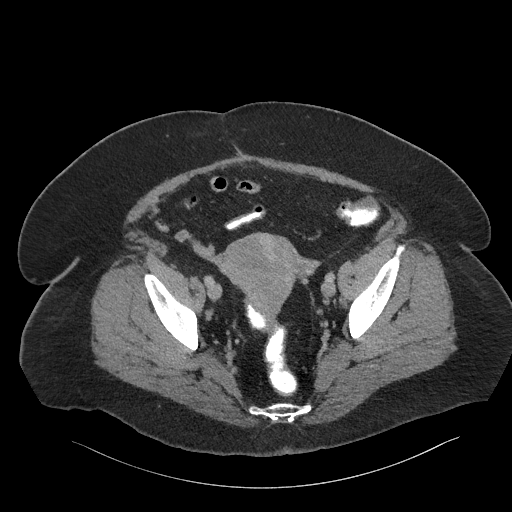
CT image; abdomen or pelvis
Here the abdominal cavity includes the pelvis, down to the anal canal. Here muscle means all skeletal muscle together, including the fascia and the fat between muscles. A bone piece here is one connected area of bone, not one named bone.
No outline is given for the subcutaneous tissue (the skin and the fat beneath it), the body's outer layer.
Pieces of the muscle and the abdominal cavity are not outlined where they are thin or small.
{"torso":[[[271,100],[369,121],[441,159],[472,190],[491,226],[488,246],[474,254],[511,299],[511,353],[488,398],[341,446],[273,456],[188,451],[101,410],[42,404],[19,362],[22,330],[47,286],[28,282],[17,262],[19,233],[36,197],[86,149],[128,124]]],"abdominal_cavity":[[[249,164],[372,193],[389,211],[389,218],[369,246],[337,270],[339,298],[348,307],[343,337],[319,359],[311,393],[303,403],[277,401],[261,406],[245,395],[200,332],[204,285],[197,277],[187,277],[166,263],[167,245],[135,225],[163,193],[197,175]]],"muscle":[[[238,151],[323,167],[396,198],[409,213],[413,233],[434,247],[444,268],[457,332],[457,349],[448,359],[378,389],[335,420],[291,424],[312,410],[311,403],[304,403],[312,393],[314,374],[324,354],[344,337],[346,318],[349,335],[357,340],[383,311],[406,245],[397,244],[346,306],[340,298],[338,270],[370,246],[390,218],[389,209],[369,191],[249,163],[197,174],[163,192],[134,225],[163,242],[165,263],[187,278],[197,278],[205,291],[197,316],[155,274],[145,272],[145,289],[165,329],[193,352],[199,346],[199,330],[206,346],[256,404],[247,412],[288,423],[264,428],[230,425],[129,384],[95,364],[91,299],[101,275],[123,250],[120,226],[128,210],[166,178]]],"bones":[[[400,243],[405,245],[405,249],[400,255],[399,268],[397,272],[396,279],[391,294],[382,311],[372,323],[370,327],[357,339],[354,339],[352,338],[350,335],[349,328],[348,327],[348,311],[350,304],[373,280],[381,266],[394,255],[396,248],[398,244]],[[145,273],[151,273],[155,275],[165,286],[169,292],[179,302],[189,307],[194,311],[197,317],[197,324],[198,325],[198,346],[196,350],[193,351],[181,343],[166,329],[164,325],[161,322],[154,310],[154,308],[151,303],[148,292],[144,283],[144,274]],[[277,402],[287,402],[298,405],[309,403],[311,404],[312,408],[311,410],[306,413],[297,415],[293,421],[290,423],[286,421],[285,417],[279,417],[278,420],[274,421],[269,417],[262,414],[258,415],[251,414],[248,412],[247,409],[251,405],[265,407]]]}